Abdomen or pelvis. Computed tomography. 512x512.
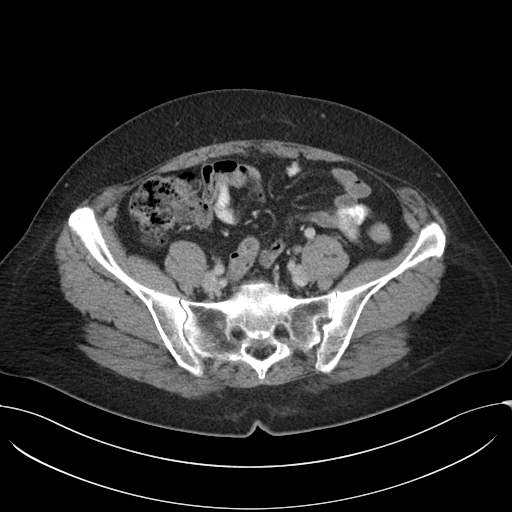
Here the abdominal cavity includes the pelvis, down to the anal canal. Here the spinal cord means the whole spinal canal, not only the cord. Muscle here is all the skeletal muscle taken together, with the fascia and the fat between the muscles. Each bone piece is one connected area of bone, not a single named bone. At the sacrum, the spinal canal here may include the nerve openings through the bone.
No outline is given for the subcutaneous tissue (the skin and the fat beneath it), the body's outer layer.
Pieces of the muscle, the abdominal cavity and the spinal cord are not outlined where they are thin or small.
Outlined structures:
torso: (221, 88) (267, 89) (349, 105) (390, 124) (427, 151) (511, 262) (511, 357) (496, 369) (464, 377) (370, 417) (286, 435) (271, 435) (258, 426) (246, 437) (204, 435) (143, 423) (40, 382) (1, 373) (0, 260) (25, 232) (61, 175) (97, 140) (142, 111) (176, 97)
muscle: (244, 139) (292, 141) (357, 159) (408, 182) (438, 209) (450, 234) (445, 270) (435, 298) (411, 322) (407, 340) (411, 350) (401, 359) (375, 374) (332, 384) (317, 393) (294, 381) (227, 387) (221, 396) (192, 399) (118, 374) (77, 347) (84, 321) (64, 298) (54, 257) (54, 245) (66, 218) (71, 231) (94, 259) (144, 303) (175, 362) (199, 378) (205, 371) (204, 361) (212, 359) (214, 368) (228, 361) (243, 362) (262, 380) (273, 364) (290, 356) (295, 348) (306, 353) (315, 346) (314, 368) (325, 374) (331, 372) (348, 347) (368, 300) (406, 270) (443, 255) (446, 235) (440, 224) (431, 220) (420, 229) (403, 259) (386, 273) (345, 290) (332, 289) (340, 276) (329, 291) (320, 291) (302, 264) (304, 246) (318, 235) (334, 236) (348, 255) (347, 270) (367, 259) (392, 257) (412, 234) (397, 196) (376, 177) (346, 161) (279, 158) (261, 152) (232, 153) (148, 175) (119, 200) (113, 228) (128, 255) (146, 258) (161, 270) (175, 241) (193, 242) (205, 255) (206, 266) (199, 284) (187, 298) (142, 284) (115, 259) (94, 209) (90, 205) (74, 208) (98, 189) (123, 182) (183, 152)
abdominal cavity: (246, 153) (352, 164) (396, 196) (411, 234) (392, 256) (367, 258) (349, 269) (338, 238) (318, 234) (303, 246) (300, 259) (326, 293) (292, 296) (260, 278) (218, 301) (188, 299) (207, 266) (202, 248) (173, 241) (162, 269) (128, 254) (114, 228) (119, 202) (153, 174)
spinal cord 1: (268, 346) (271, 346) (273, 347) (273, 350) (272, 352) (266, 357) (264, 358) (262, 358) (261, 359) (259, 358) (257, 358) (255, 356) (251, 354) (248, 351) (248, 349) (249, 348) (252, 348) (253, 347) (267, 347)
spinal cord 2: (280, 324) (282, 324) (285, 327) (285, 328) (286, 329) (286, 332) (287, 333) (287, 335) (286, 336) (282, 336) (281, 335) (277, 335) (275, 333) (275, 331) (276, 330) (276, 328) (277, 327) (277, 326) (278, 325) (279, 325)
bones: (82, 206) (93, 209) (130, 277) (197, 302) (260, 279) (292, 297) (345, 291) (395, 268) (431, 221) (445, 246) (367, 300) (331, 371) (315, 368) (315, 345) (295, 347) (262, 379) (243, 361) (214, 367) (212, 358) (199, 377) (176, 362) (145, 303) (72, 231) (68, 217), around holes outlined by (268, 346) (271, 346) (273, 347) (273, 350) (272, 352) (266, 357) (264, 358) (262, 358) (261, 359) (259, 358) (257, 358) (255, 356) (251, 354) (248, 351) (248, 349) (249, 348) (252, 348) (253, 347) (267, 347) and by (280, 324) (282, 324) (285, 327) (285, 328) (286, 329) (286, 332) (287, 333) (287, 335) (286, 336) (282, 336) (281, 335) (277, 335) (275, 333) (275, 331) (276, 330) (276, 328) (277, 327) (277, 326) (278, 325) (279, 325) and by (235, 326) (236, 326) (238, 328) (239, 328) (241, 330) (241, 334) (239, 336) (236, 336) (235, 335) (234, 335) (233, 334) (233, 328)